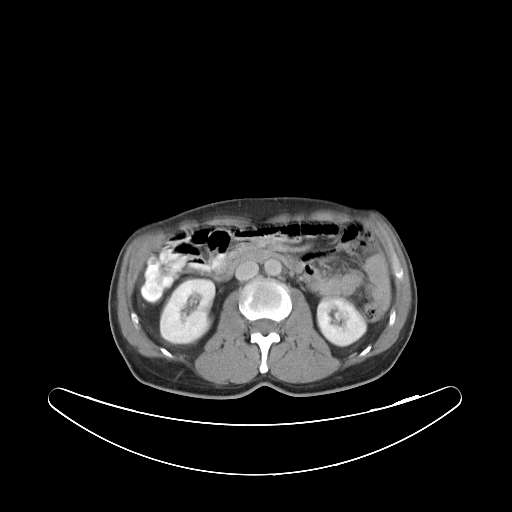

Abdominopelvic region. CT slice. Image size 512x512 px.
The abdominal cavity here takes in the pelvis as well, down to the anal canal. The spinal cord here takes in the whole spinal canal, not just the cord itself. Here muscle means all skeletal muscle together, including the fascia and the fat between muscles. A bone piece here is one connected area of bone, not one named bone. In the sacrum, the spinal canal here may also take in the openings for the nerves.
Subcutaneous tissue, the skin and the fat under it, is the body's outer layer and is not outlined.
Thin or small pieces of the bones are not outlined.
{"torso":[[[277,195],[323,197],[371,206],[379,209],[393,224],[409,255],[418,295],[413,331],[396,362],[382,376],[366,384],[308,397],[287,395],[264,385],[238,398],[202,399],[170,393],[138,381],[114,342],[107,310],[113,268],[126,238],[148,221],[203,203]]],"bones":[{"outer":[[259,276],[273,278],[285,283],[288,286],[291,298],[291,310],[279,323],[280,340],[273,342],[268,349],[266,359],[268,369],[264,373],[261,373],[259,370],[261,363],[260,348],[255,342],[250,341],[250,322],[240,312],[238,307],[240,290],[248,282]],"hole":[[259,319],[269,319],[270,320],[272,320],[273,321],[274,321],[276,323],[277,323],[277,327],[276,328],[276,329],[275,330],[270,331],[267,334],[263,334],[259,331],[254,331],[252,328],[252,323],[254,321],[255,321],[256,320],[258,320]]},[[392,252],[394,252],[395,253],[395,254],[396,255],[396,256],[397,257],[397,258],[399,261],[399,263],[400,264],[400,265],[401,266],[401,267],[403,270],[403,278],[401,280],[398,279],[395,276],[395,275],[393,272],[393,269],[392,268]],[[369,344],[371,344],[371,348],[370,349],[370,350],[365,355],[364,355],[363,356],[359,356],[359,353],[364,348],[365,348],[366,347],[366,346],[367,346]],[[160,347],[163,347],[164,348],[165,348],[168,351],[169,351],[172,354],[172,358],[170,358],[169,357],[168,357],[167,356],[166,356],[161,351],[161,350],[160,349]]],"abdominal_cavity":[[[296,219],[358,221],[367,226],[383,248],[391,268],[394,296],[387,323],[373,342],[343,357],[333,355],[314,327],[302,291],[262,275],[227,295],[215,331],[197,355],[170,351],[147,335],[134,311],[134,287],[148,255],[175,230],[204,224],[250,225]]],"spinal_cord":[[[259,319],[269,319],[270,320],[272,320],[273,321],[274,321],[276,323],[277,323],[277,327],[276,328],[276,329],[275,330],[270,331],[267,334],[263,334],[259,331],[254,331],[252,328],[252,323],[254,321],[255,321],[256,320],[258,320]]],"muscle":[{"outer":[[317,209],[342,209],[343,210],[346,210],[350,213],[373,213],[376,215],[378,215],[389,226],[398,242],[398,244],[405,259],[408,270],[410,288],[411,289],[411,305],[407,318],[402,328],[400,330],[398,338],[396,341],[386,350],[376,355],[374,355],[360,363],[349,366],[343,370],[336,371],[327,377],[313,382],[308,382],[307,383],[289,383],[281,380],[277,380],[271,375],[268,374],[262,375],[260,373],[258,374],[253,380],[244,384],[235,387],[223,387],[222,386],[217,386],[213,383],[198,376],[195,374],[191,369],[187,368],[181,364],[178,364],[173,362],[168,362],[160,358],[147,357],[140,354],[123,336],[117,318],[117,307],[116,306],[116,301],[117,300],[116,297],[117,284],[118,283],[118,278],[120,273],[120,269],[121,268],[123,257],[125,254],[127,247],[131,241],[139,234],[147,231],[151,231],[160,227],[167,227],[182,220],[190,219],[191,218],[208,217],[209,216],[225,215],[226,214],[267,217],[268,216],[273,216],[277,214],[280,214],[284,212],[294,213],[295,212],[316,210]],"hole":[[296,219],[358,221],[375,236],[391,268],[395,253],[403,270],[400,280],[391,269],[395,321],[392,326],[385,324],[365,355],[359,356],[359,351],[333,355],[314,327],[304,294],[290,285],[291,310],[279,323],[280,340],[268,349],[264,373],[259,370],[260,348],[250,341],[250,322],[238,307],[239,289],[224,299],[215,331],[197,355],[171,351],[170,358],[139,321],[138,327],[134,326],[134,287],[146,258],[178,228]]}]}